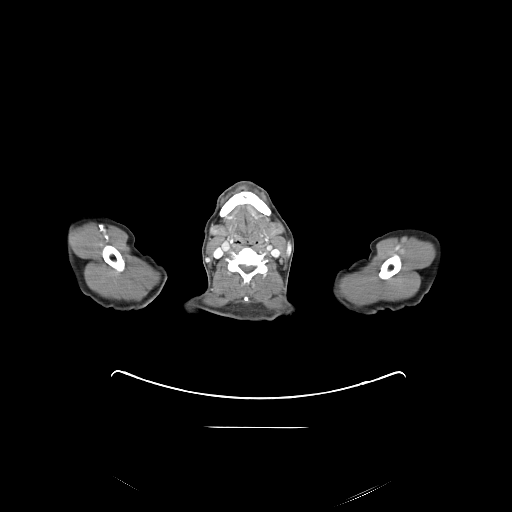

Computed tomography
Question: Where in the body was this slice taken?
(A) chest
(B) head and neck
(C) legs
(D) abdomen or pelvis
Answer: (B) head and neck
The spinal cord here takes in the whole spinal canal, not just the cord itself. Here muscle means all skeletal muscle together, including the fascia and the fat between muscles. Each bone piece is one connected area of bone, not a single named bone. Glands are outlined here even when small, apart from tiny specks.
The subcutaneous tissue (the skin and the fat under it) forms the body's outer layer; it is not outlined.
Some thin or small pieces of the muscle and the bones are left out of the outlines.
spinal cord: 240,265 245,265 246,266 253,266 254,267 254,268 251,271 250,271 249,272 246,272 245,271 244,271 240,267
bones 1: 246,246 252,248 257,252 266,253 264,257 267,260 267,271 264,276 261,273 255,274 250,279 248,284 242,285 243,279 241,275 238,272 232,272 228,270 226,258 230,255 230,251 238,252; inner edge: 240,265 245,265 246,266 253,266 254,267 254,268 251,271 250,271 249,272 246,272 245,271 244,271 240,267
bones 2: 240,191 251,191 256,194 269,206 272,211 271,214 270,215 265,215 263,213 258,211 252,205 248,203 244,203 243,204 239,204 237,205 225,217 221,217 219,216 218,213 220,208 223,205 223,204 232,195
bones 3: 107,244 112,245 114,247 115,247 121,254 121,255 124,260 124,262 125,263 125,267 122,271 121,271 120,272 118,272 113,267 112,267 110,265 109,265 104,260 104,259 102,256 102,249 103,248 103,247
bones 4: 393,254 397,254 400,257 400,259 401,260 401,267 398,272 397,272 395,274 394,274 389,278 388,278 387,279 381,279 379,277 379,276 378,275 378,273 380,270 380,267 381,266 382,263 387,258 390,257
submandibular glands 1: 270,222 279,222 279,223 280,224 281,224 281,225 283,228 283,230 281,232 281,233 280,233 279,234 278,234 277,235 276,235 274,237 268,237 268,236 266,233 266,228 268,225 268,223 269,223
submandibular glands 2: 213,225 219,225 220,226 222,226 223,227 223,229 224,230 224,233 223,234 223,235 222,235 221,236 218,236 217,235 216,236 215,235 214,235 213,234 212,234 210,232 210,229 212,227 212,226
right arm: 86,214 106,216 126,225 134,234 135,246 142,253 150,255 166,269 168,275 161,291 151,302 141,309 136,311 118,311 112,308 104,308 91,298 83,294 79,289 66,254 64,237 66,228 69,222 78,216
left arm: 398,228 419,228 426,230 437,236 441,242 443,249 441,263 429,291 422,300 415,306 404,307 397,311 385,309 370,315 356,313 338,303 334,299 331,290 336,272 360,258 367,257 370,252 369,244 373,239
head and neck: 244,179 255,182 268,192 293,233 294,249 288,276 287,297 299,310 291,316 280,316 271,321 246,321 211,313 197,316 177,312 175,309 182,301 203,292 207,286 201,246 204,226 214,210 217,197 228,186
muscle 1: 244,204 265,216 273,213 279,221 267,223 267,237 274,238 284,228 291,243 282,279 282,308 240,303 214,307 202,302 213,279 206,261 209,233 216,237 225,233 222,225 210,227 211,223 218,215 225,218; inner edge: 246,246 252,248 257,252 266,253 264,257 267,260 267,271 264,276 261,273 255,274 250,279 248,284 242,285 243,279 241,275 238,272 232,272 228,270 226,258 230,255 230,251 238,252
muscle 2: 89,221 111,224 123,230 128,236 127,244 131,250 131,253 146,261 160,273 161,276 158,283 140,300 138,301 125,301 104,298 92,291 87,286 83,276 83,268 77,257 70,248 68,238 69,233 72,228 with a hole at 107,244 112,245 114,247 115,247 121,254 121,255 124,260 124,262 125,263 125,267 122,271 121,271 120,272 118,272 113,267 112,267 110,265 109,265 104,260 104,259 102,256 102,249 103,248 103,247
muscle 3: 402,235 415,236 420,239 429,240 434,244 436,248 436,255 422,277 419,289 413,296 397,301 380,300 370,304 358,306 340,295 337,289 337,284 342,275 358,270 369,262 376,254 376,244 379,241 389,237; inner edge: 393,254 397,254 400,257 400,259 401,260 401,267 398,272 397,272 395,274 394,274 389,278 388,278 387,279 381,279 379,277 379,276 378,275 378,273 380,270 380,267 381,266 382,263 387,258 390,257
muscle 4: 239,185 248,185 251,187 253,187 261,191 267,198 268,204 263,199 262,199 256,193 255,193 253,191 251,190 240,190 232,194 222,204 222,205 220,207 220,205 219,204 220,203 221,199 228,192 234,189